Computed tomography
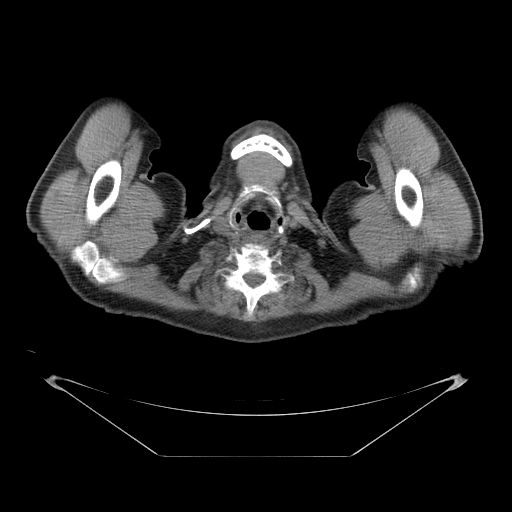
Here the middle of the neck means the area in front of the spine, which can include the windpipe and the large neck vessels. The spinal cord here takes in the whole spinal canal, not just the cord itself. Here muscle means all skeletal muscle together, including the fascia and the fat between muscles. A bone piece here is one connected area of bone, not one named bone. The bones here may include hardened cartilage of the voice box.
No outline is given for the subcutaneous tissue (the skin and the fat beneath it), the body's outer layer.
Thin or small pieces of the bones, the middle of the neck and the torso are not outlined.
{"bones":[{"outer":[[246,243],[260,244],[270,255],[280,251],[282,264],[279,266],[274,262],[273,266],[293,276],[278,292],[261,296],[251,317],[244,317],[245,296],[238,290],[227,288],[225,278],[217,272],[233,266],[235,261],[228,262],[225,257],[232,248],[239,250]],"hole":[[250,272],[251,272],[252,273],[254,273],[255,274],[260,274],[261,275],[262,275],[264,277],[264,280],[261,283],[260,283],[255,286],[251,286],[250,285],[249,285],[245,281],[245,280],[243,278],[243,276],[245,274],[246,274],[247,273],[249,273]]},[[111,159],[116,159],[118,160],[121,165],[121,179],[120,180],[120,184],[119,185],[118,195],[113,206],[110,208],[107,212],[104,213],[94,225],[89,225],[85,219],[85,208],[86,207],[86,199],[87,198],[90,183],[96,169],[101,164]],[[87,240],[90,240],[96,244],[99,250],[99,254],[102,257],[111,256],[117,259],[117,265],[122,268],[124,273],[121,280],[106,284],[99,283],[92,275],[90,274],[88,276],[85,276],[81,268],[76,263],[71,261],[71,250],[75,246],[80,245]],[[401,167],[408,168],[415,175],[419,182],[419,184],[421,188],[421,193],[422,194],[422,199],[423,200],[423,213],[422,214],[421,223],[420,225],[416,228],[412,227],[408,222],[399,214],[395,204],[395,198],[394,197],[395,176],[396,175],[397,170]],[[261,133],[264,133],[274,137],[284,146],[292,158],[292,164],[291,166],[288,167],[284,165],[273,155],[265,151],[258,151],[257,150],[256,151],[252,151],[246,153],[236,159],[232,159],[230,157],[229,154],[230,153],[230,150],[235,145],[250,136]],[[253,184],[259,184],[270,190],[273,190],[275,192],[275,195],[281,203],[282,207],[281,211],[280,211],[277,205],[266,198],[267,195],[265,193],[260,191],[255,192],[252,197],[248,198],[244,197],[237,200],[239,194],[243,190],[244,187],[250,186]],[[415,264],[418,264],[421,267],[421,280],[418,283],[418,284],[417,285],[417,287],[412,292],[402,292],[401,291],[400,291],[398,288],[398,286],[400,284],[400,282],[401,281],[402,278],[405,275],[405,274],[408,271],[410,271],[412,269],[413,266]],[[235,205],[236,205],[236,210],[233,213],[233,224],[234,225],[234,228],[233,228],[229,224],[229,212],[231,210],[231,209],[232,208],[232,207],[233,206],[234,206]]],"torso":[[[190,215],[195,216],[195,217],[185,239],[183,248],[181,288],[185,300],[207,335],[193,333],[190,331],[174,327],[152,319],[106,313],[102,309],[82,301],[69,288],[68,286],[88,285],[107,281],[147,259],[178,235]],[[336,242],[356,265],[417,288],[419,290],[431,293],[431,294],[425,301],[418,306],[405,311],[394,311],[373,315],[368,319],[364,320],[356,325],[345,327],[324,328],[301,335],[312,325],[317,318],[325,303],[329,291],[332,287],[334,278],[334,257]]],"left_arm":[[[398,98],[418,102],[442,127],[472,180],[482,211],[483,245],[479,258],[461,270],[449,267],[432,292],[356,264],[331,236],[321,212],[329,192],[341,181],[354,178],[361,184],[365,183],[364,176],[370,165],[356,157],[359,137],[374,113],[382,105]]],"middle_of_the_neck":[[[257,192],[265,194],[265,198],[277,206],[279,211],[285,216],[288,224],[285,231],[273,238],[254,240],[233,231],[224,232],[220,230],[220,224],[225,221],[228,216],[228,224],[233,229],[235,228],[234,213],[237,210],[237,205],[242,199],[252,198]]],"spinal_cord":[[[250,272],[251,272],[252,273],[254,273],[255,274],[260,274],[261,275],[262,275],[264,277],[264,280],[261,283],[260,283],[255,286],[251,286],[250,285],[249,285],[245,281],[245,280],[243,278],[243,276],[245,274],[246,274],[247,273],[249,273]]],"head_and_neck":[[[256,118],[277,121],[299,146],[312,192],[313,206],[320,211],[335,245],[331,287],[311,325],[299,336],[262,343],[243,343],[207,334],[184,296],[182,272],[186,239],[196,215],[201,210],[201,202],[208,192],[208,182],[218,163],[221,145],[236,128]]],"muscle":[{"outer":[[109,101],[123,104],[132,125],[145,132],[136,178],[170,197],[172,223],[202,215],[218,192],[230,143],[260,124],[278,129],[292,146],[305,208],[337,244],[350,205],[379,187],[367,149],[373,129],[381,126],[387,110],[409,107],[437,137],[445,169],[470,210],[471,240],[463,255],[434,252],[417,292],[367,299],[324,314],[253,323],[204,311],[170,311],[104,290],[60,257],[38,214],[48,186],[70,163],[86,120]],"holes":[[[246,243],[260,244],[270,255],[280,251],[282,264],[279,266],[274,262],[273,266],[293,276],[278,292],[261,296],[251,317],[244,317],[245,296],[238,290],[227,288],[225,278],[217,272],[233,266],[235,261],[228,262],[225,257],[232,248],[239,250]],[[253,184],[259,184],[270,190],[273,190],[281,203],[281,213],[285,216],[288,224],[283,233],[273,238],[254,240],[243,235],[239,235],[233,231],[224,232],[220,230],[220,224],[228,218],[231,208],[240,203],[241,200],[237,199],[244,187]],[[111,159],[116,159],[118,160],[121,165],[121,179],[120,180],[120,184],[119,185],[118,195],[113,206],[110,208],[107,212],[104,213],[94,225],[89,225],[85,219],[85,208],[86,207],[86,199],[87,198],[90,183],[96,169],[101,164]],[[87,240],[90,240],[96,244],[99,250],[99,254],[102,257],[111,256],[117,259],[117,265],[122,268],[124,273],[121,280],[106,284],[99,283],[92,275],[90,274],[88,276],[85,276],[81,268],[76,263],[71,261],[71,250],[75,246],[80,245]],[[401,167],[408,168],[415,175],[419,182],[419,184],[421,188],[421,193],[422,194],[422,199],[423,200],[423,213],[422,214],[421,223],[420,225],[416,228],[412,227],[408,222],[399,214],[395,204],[395,198],[394,197],[395,176],[396,175],[397,170]],[[261,133],[264,133],[274,137],[284,146],[292,158],[292,164],[291,166],[288,167],[284,165],[273,155],[265,151],[258,151],[257,150],[256,151],[252,151],[246,153],[236,159],[232,159],[230,157],[229,154],[230,153],[230,150],[235,145],[250,136]],[[415,264],[418,264],[421,267],[421,280],[418,283],[418,284],[417,285],[417,287],[412,292],[402,292],[401,291],[400,291],[398,288],[398,286],[400,284],[400,282],[401,281],[402,278],[405,275],[405,274],[408,271],[410,271],[412,269],[413,266]]]}],"right_arm":[[[106,93],[117,93],[127,98],[157,131],[161,138],[161,146],[150,154],[152,166],[148,173],[151,175],[164,170],[173,173],[183,181],[189,215],[177,235],[147,258],[107,280],[67,285],[57,266],[28,230],[25,208],[35,183],[77,117],[92,100]]]}